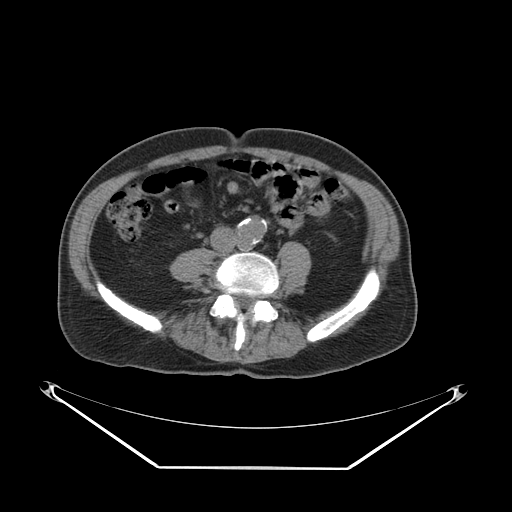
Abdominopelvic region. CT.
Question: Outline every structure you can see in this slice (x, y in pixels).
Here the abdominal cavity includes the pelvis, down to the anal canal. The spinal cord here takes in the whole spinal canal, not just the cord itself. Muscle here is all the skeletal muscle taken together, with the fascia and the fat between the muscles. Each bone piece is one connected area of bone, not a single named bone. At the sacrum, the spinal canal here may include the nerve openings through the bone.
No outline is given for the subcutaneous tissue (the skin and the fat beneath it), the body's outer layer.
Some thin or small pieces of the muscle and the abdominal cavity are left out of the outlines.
Answer: The bones appear in 3 outlined pieces: piece 1: 251 251; 265 255; 277 267; 280 284; 267 299; 277 309; 278 316; 274 320; 268 322; 261 320; 254 325; 248 319; 244 323; 246 337; 237 351; 233 347; 236 321; 233 318; 212 316; 209 313; 211 305; 221 292; 214 272; 229 255, around a hole outlined by 236 294; 244 294; 249 297; 253 297; 255 298; 255 301; 253 305; 252 305; 250 307; 246 309; 241 309; 240 308; 238 308; 236 307; 235 305; 235 302; 234 301; 234 298; 233 297; 233 295; 235 295; piece 2: 371 267; 374 267; 375 268; 380 282; 379 292; 375 299; 371 301; 365 309; 358 312; 348 321; 332 332; 327 337; 313 342; 309 342; 306 339; 306 333; 316 323; 323 320; 343 307; 355 295; 362 283; 362 281; 365 276; 366 272; piece 3: 97 280; 101 281; 119 297; 129 304; 146 312; 148 314; 155 316; 162 324; 162 329; 161 331; 156 333; 152 333; 147 330; 145 330; 141 326; 122 316; 117 311; 110 307; 103 300; 97 290; 97 287; 96 286; 96 281. The torso is outlined by 191 126; 217 126; 235 133; 255 127; 307 131; 343 145; 381 177; 397 199; 410 233; 417 320; 403 346; 345 370; 306 378; 271 379; 118 367; 83 358; 70 347; 57 317; 57 258; 61 229; 73 199; 93 172; 122 149; 151 135. The abdominal cavity is outlined by 234 153; 336 176; 361 200; 364 270; 345 302; 313 316; 284 303; 304 292; 312 267; 309 250; 294 240; 272 260; 254 250; 219 263; 205 247; 179 253; 168 270; 192 295; 161 309; 126 301; 101 279; 91 239; 116 190; 156 168. The muscle appears in 2 outlined pieces: piece 1: 291 241; 308 250; 311 267; 303 292; 282 301; 288 307; 313 317; 345 303; 361 283; 343 306; 305 333; 309 343; 317 343; 278 362; 197 360; 157 337; 154 334; 163 329; 161 321; 128 302; 161 310; 191 297; 169 266; 188 250; 211 250; 218 257; 213 278; 220 292; 208 313; 235 321; 232 347; 237 352; 247 337; 248 320; 254 326; 279 316; 268 299; 281 284; 273 260; piece 2: 207 146; 223 146; 228 149; 264 147; 308 156; 334 169; 365 180; 375 186; 387 199; 395 213; 399 226; 399 253; 388 266; 386 287; 381 295; 366 314; 346 332; 326 338; 358 313; 365 310; 376 299; 381 287; 380 278; 374 266; 371 266; 365 272; 362 280; 365 270; 362 258; 363 246; 368 229; 367 214; 362 200; 336 175; 297 163; 271 159; 251 153; 224 153; 150 169; 122 184; 109 196; 103 205; 96 218; 89 245; 92 263; 101 280; 97 279; 95 281; 96 290; 110 308; 144 330; 126 324; 99 300; 88 295; 82 288; 69 263; 68 238; 75 212; 88 193; 100 183; 133 166; 147 163; 168 154. The spinal cord is outlined by 236 294; 244 294; 249 297; 253 297; 255 298; 255 301; 253 305; 252 305; 250 307; 246 309; 241 309; 240 308; 238 308; 236 307; 235 305; 235 302; 234 301; 234 298; 233 297; 233 295; 235 295.